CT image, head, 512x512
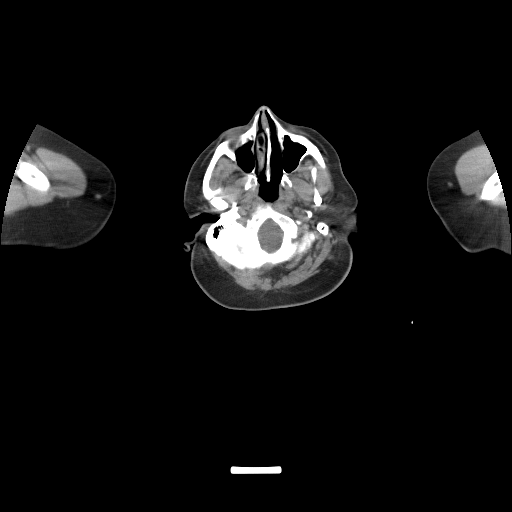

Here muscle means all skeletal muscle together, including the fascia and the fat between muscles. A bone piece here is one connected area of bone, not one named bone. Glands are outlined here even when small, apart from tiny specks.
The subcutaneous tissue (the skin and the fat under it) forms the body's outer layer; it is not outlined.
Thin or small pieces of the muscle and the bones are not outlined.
Outlines:
right arm: 39,123 101,159 110,168 116,181 116,200 113,211 107,223 101,232 93,240 76,249 59,251 24,245 4,246 1,244 3,217 6,209 6,204 8,201 8,196 14,172 17,163 22,155 23,149 35,126
parotid glands: 340,190 347,196 347,197 349,200 346,203 346,206 347,207 347,208 345,210 344,213 340,216 329,216 326,213 326,206 327,205 329,200 332,197 332,196 334,194 334,193 336,191 339,191
bones 1: 263,106 288,131 317,146 325,170 308,155 289,174 292,186 280,187 282,170 291,172 305,148 286,136 281,153 268,113 270,180 263,169 257,174 258,189 245,190 243,173 223,155 209,185 222,186 233,196 242,222 258,204 269,201 276,210 308,225 317,237 305,253 289,261 241,270 205,242 206,229 218,213 203,196 202,179 216,146 244,132 with holes at 268,220 270,220 276,225 277,225 281,230 281,240 280,241 280,243 279,245 275,249 271,251 269,251 262,247 261,243 260,242 260,240 259,239 259,231 260,230 260,228 262,226 262,225 266,221 and at 248,142 250,142 250,147 249,148 250,149 250,151 251,153 254,156 255,158 255,165 254,165 252,167 250,171 245,171 239,165 238,163 238,161 237,160 237,155 236,154 236,151 239,148 240,148
bones 2: 19,160 23,160 24,161 29,161 33,163 46,175 50,182 50,187 47,191 45,192 42,192 41,191 38,191 32,188 30,186 27,185 24,182 23,182 17,176 16,176 14,174 14,172 15,171 17,163
bones 3: 495,167 495,169 498,174 498,176 499,177 499,179 500,180 500,182 502,186 502,190 503,192 500,192 493,199 492,201 488,201 487,200 480,200 479,199 479,196 481,192 482,185 486,178 487,178 494,171
bones 4: 318,221 323,221 324,222 325,222 328,225 328,226 329,227 329,229 328,230 328,234 327,235 323,235 322,234 321,234 320,233 319,233 316,230 316,229 315,228 316,227 316,224 317,223 317,222
left arm: 475,129 479,131 485,145 490,151 492,161 498,174 503,193 505,195 505,206 507,210 510,234 510,254 506,254 495,249 481,253 470,253 463,249 449,236 439,217 434,211 427,195 427,171 435,156 444,147
muscle 1: 287,129 302,130 313,136 326,149 333,164 335,191 325,206 325,213 333,218 340,234 337,267 327,280 298,293 268,299 243,296 217,281 206,269 200,254 204,232 207,248 241,271 273,268 289,262 296,255 305,254 318,237 308,224 276,209 270,201 278,197 280,188 293,186 290,174 301,167 306,157 310,156 324,171 327,168 315,143 305,135; inner edges: 318,221 323,221 324,222 325,222 328,225 328,226 329,227 329,229 328,230 328,234 327,235 323,235 322,234 321,234 320,233 319,233 316,230 316,229 315,228 316,227 316,224 317,223 317,222, then 314,187 316,187 317,188 317,189 318,190 318,191 319,192 319,193 321,196 321,198 322,199 322,201 321,202 321,203 320,204 320,205 319,205 318,206 315,206 315,205 314,204 314,202 313,201 313,188, then 310,165 315,165 316,166 316,168 317,169 317,170 316,171 316,180 315,181 315,183 313,183 312,182 312,180 311,179 311,172 310,171 310,169 309,168 309,166, then 307,209 308,209 309,210 310,210 311,211 312,212 312,213 312,214 312,215 312,216 311,217 310,218 309,218 308,218 307,218 307,217 307,216 307,215 307,214 306,213 306,212 305,211 306,210
muscle 2: 27,142 48,147 65,154 75,161 86,174 87,187 84,194 68,199 56,198 52,202 41,206 30,207 24,210 21,209 4,214 14,175 27,186 38,192 45,193 51,187 49,178 41,169 29,160 19,159
muscle 3: 478,143 481,145 484,144 489,149 491,158 494,164 493,171 485,178 481,185 478,199 476,197 472,197 471,196 468,196 466,194 462,194 459,188 459,185 457,182 457,179 454,172 455,162 459,157 464,152
muscle 4: 223,156 228,158 232,162 233,167 242,173 243,189 245,191 258,190 258,194 265,200 258,203 244,221 242,221 240,206 234,196 231,193 226,192 226,188 222,185 219,185 214,188 210,185 210,180 216,164
muscle 5: 215,146 214,150 204,170 201,179 201,193 203,198 212,207 212,211 214,213 217,213 217,215 214,215 204,209 199,208 198,207 199,204 194,200 194,187 198,177 198,174 200,171 201,163 208,152
muscle 6: 500,193 503,193 505,195 505,200 506,201 506,204 505,206 506,207 506,209 501,209 498,206 497,207 495,206 489,206 485,204 483,202 480,202 480,201 487,201 488,202 492,202 494,200 494,199
brain: 268,220 270,220 276,225 277,225 281,230 281,240 280,241 280,243 279,245 275,249 271,251 269,251 262,247 261,243 260,242 260,240 259,239 259,231 260,230 260,228 262,226 262,225 266,221
head: 262,105 285,121 317,130 334,147 357,195 358,229 348,238 353,252 350,270 329,294 293,307 231,309 208,297 192,275 184,243 204,222 214,222 218,216 201,213 189,217 183,191 201,151 222,131 245,124; inner edges: 268,114 275,128 275,141 281,154 284,151 286,137 291,142 304,148 297,164 291,171 287,171 284,168 281,170 278,195 273,200 266,200 259,194 258,180 258,174 263,170 265,181 268,183 271,180 272,141, then 248,142 250,142 250,147 249,148 250,149 250,151 251,153 254,156 255,158 255,165 254,165 252,167 250,171 245,171 239,165 238,163 238,161 237,160 237,155 236,154 236,151 239,148 240,148